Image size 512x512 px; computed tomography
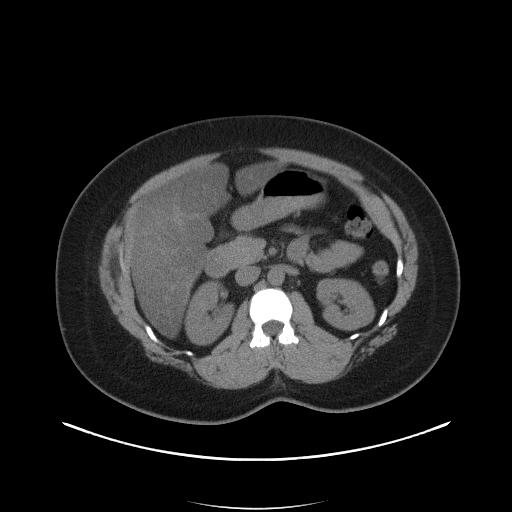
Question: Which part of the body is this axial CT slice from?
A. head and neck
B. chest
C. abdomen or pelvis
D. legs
Answer: C. abdomen or pelvis
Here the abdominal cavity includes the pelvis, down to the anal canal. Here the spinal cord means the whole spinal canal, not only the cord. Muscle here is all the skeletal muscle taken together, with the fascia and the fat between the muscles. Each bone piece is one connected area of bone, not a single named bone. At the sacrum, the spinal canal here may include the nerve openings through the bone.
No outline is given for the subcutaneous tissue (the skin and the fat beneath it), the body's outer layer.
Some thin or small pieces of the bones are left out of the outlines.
abdominal cavity: 232 154; 263 154; 331 175; 357 196; 397 256; 395 295; 371 328; 339 337; 315 323; 301 293; 294 290; 287 294; 279 287; 267 286; 241 302; 229 334; 207 354; 174 348; 157 337; 138 312; 129 278; 139 217; 163 186; 198 166
bones 1: 267 287; 279 288; 284 291; 288 296; 292 305; 290 322; 294 329; 294 333; 298 337; 297 343; 289 344; 272 343; 268 346; 263 347; 252 348; 250 347; 249 343; 252 337; 251 333; 254 324; 249 316; 249 301; 251 296; 256 291, around a hole outlined by 271 320; 275 320; 276 321; 278 321; 279 322; 280 322; 282 324; 282 326; 281 327; 281 329; 280 330; 280 331; 279 332; 278 332; 275 335; 269 335; 268 334; 265 333; 265 332; 263 329; 263 325; 265 323; 266 323
bones 2: 145 324; 147 324; 151 328; 151 329; 153 331; 154 334; 156 336; 156 337; 159 340; 159 341; 158 342; 155 342; 154 341; 153 341; 149 337; 149 336; 148 335; 148 334; 147 333; 147 332; 146 331; 146 330; 144 327; 145 326
bones 3: 385 308; 387 308; 387 316; 386 317; 386 318; 385 319; 385 321; 383 323; 383 324; 381 326; 377 326; 377 323; 378 322; 378 320; 379 319; 379 318; 380 317; 380 316; 381 315; 381 314; 382 313; 382 312; 383 311; 383 310
torso: 252 113; 300 115; 345 126; 387 148; 421 177; 444 212; 458 254; 461 289; 453 331; 439 359; 420 381; 369 408; 331 413; 277 401; 243 418; 213 425; 148 415; 93 386; 66 351; 54 289; 64 220; 90 179; 141 139; 198 119
spinal cord: 271 320; 275 320; 276 321; 278 321; 279 322; 280 322; 282 324; 282 326; 281 327; 281 329; 280 330; 280 331; 279 332; 278 332; 275 335; 269 335; 268 334; 265 333; 265 332; 263 329; 263 325; 265 323; 266 323
muscle: 253 147; 303 150; 352 167; 400 207; 415 235; 416 283; 406 304; 395 315; 396 334; 337 379; 311 384; 273 369; 246 388; 206 385; 180 369; 147 357; 140 341; 118 322; 101 290; 98 265; 105 234; 138 187; 153 175; 191 157; inner edge: 232 154; 263 154; 331 175; 357 196; 403 262; 381 326; 354 339; 339 337; 315 323; 294 290; 287 295; 297 343; 250 347; 254 324; 247 298; 229 334; 207 354; 190 356; 149 337; 121 267; 121 260; 129 273; 139 217; 163 186